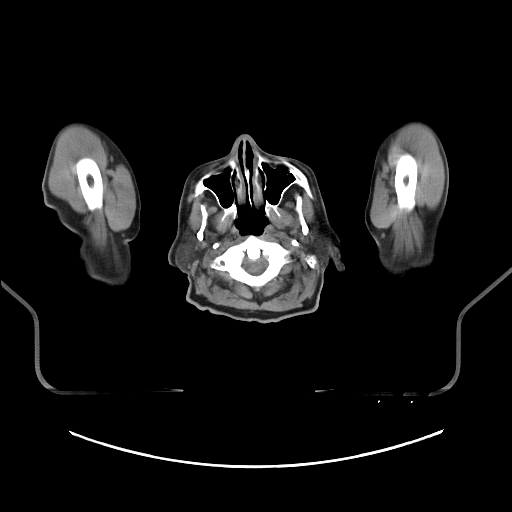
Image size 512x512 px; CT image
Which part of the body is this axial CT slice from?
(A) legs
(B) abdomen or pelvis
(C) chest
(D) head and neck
Answer: (D) head and neck
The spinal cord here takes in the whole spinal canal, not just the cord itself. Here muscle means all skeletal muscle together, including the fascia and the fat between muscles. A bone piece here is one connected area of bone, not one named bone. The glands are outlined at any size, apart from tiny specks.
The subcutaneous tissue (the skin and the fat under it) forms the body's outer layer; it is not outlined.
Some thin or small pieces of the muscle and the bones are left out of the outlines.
{"muscle":[{"outer":[[216,163],[223,164],[221,170],[204,173],[194,184],[192,195],[195,198],[208,191],[222,210],[220,220],[230,216],[239,233],[246,237],[216,255],[208,266],[227,272],[232,279],[256,292],[292,260],[290,249],[260,235],[269,221],[271,211],[278,217],[281,215],[278,207],[292,186],[302,188],[309,198],[314,198],[307,176],[297,166],[307,172],[315,189],[325,227],[320,222],[313,226],[311,245],[317,254],[328,252],[323,258],[313,295],[301,307],[277,312],[250,311],[217,305],[196,294],[194,279],[189,270],[192,262],[201,255],[197,239],[200,242],[204,238],[208,212],[205,205],[200,203],[201,220],[195,235],[189,228],[185,229],[186,198],[192,180],[204,168]],"holes":[[[297,194],[299,194],[302,198],[302,200],[301,201],[301,210],[302,211],[303,217],[309,229],[308,233],[306,235],[303,234],[302,232],[302,230],[301,229],[302,228],[299,220],[299,217],[297,212],[295,210],[295,206],[296,205],[295,196]],[[307,254],[313,254],[314,255],[315,255],[315,256],[316,257],[316,263],[315,264],[315,266],[313,268],[311,268],[308,265],[308,264],[306,262],[306,261],[305,260],[305,256]],[[292,239],[293,239],[294,239],[295,239],[296,240],[297,241],[298,242],[299,243],[299,244],[299,245],[298,246],[297,246],[296,246],[295,246],[294,245],[293,245],[292,244],[291,243],[291,242],[291,241],[292,240]]]},{"outer":[[72,125],[81,125],[95,132],[105,142],[109,151],[127,168],[131,176],[135,192],[135,212],[129,228],[121,238],[120,264],[115,267],[111,267],[92,246],[90,235],[81,225],[78,215],[65,201],[54,196],[48,186],[49,171],[57,139],[64,129]],"hole":[[83,157],[90,157],[96,162],[99,168],[101,177],[102,178],[102,183],[103,184],[102,207],[100,209],[95,209],[92,211],[90,211],[88,209],[85,200],[82,195],[81,189],[79,186],[79,182],[78,181],[76,168],[75,167],[76,162],[80,158]]},{"outer":[[410,124],[421,124],[427,127],[435,137],[444,168],[443,191],[437,207],[431,214],[424,228],[424,245],[422,251],[406,259],[393,259],[388,252],[387,245],[379,238],[373,227],[370,219],[370,208],[375,177],[381,160],[386,154],[389,142],[398,130]],"hole":[[404,153],[409,153],[412,155],[415,158],[417,162],[417,182],[415,188],[415,207],[410,211],[407,211],[404,209],[400,211],[398,209],[397,206],[397,196],[396,195],[395,186],[394,185],[394,177],[395,176],[395,170],[396,169],[395,161],[399,155]]}],"spinal_cord":[[[261,257],[264,258],[267,261],[267,263],[268,264],[267,265],[266,268],[260,274],[259,274],[258,275],[253,275],[252,274],[247,272],[243,268],[243,267],[242,266],[242,264],[245,259],[246,259],[249,261],[254,262],[255,261],[258,260]]],"parotid_glands":[[[186,229],[189,229],[194,234],[196,238],[196,242],[198,246],[198,249],[200,251],[200,255],[198,257],[196,257],[191,262],[191,264],[189,267],[188,271],[184,271],[177,264],[176,262],[176,249],[178,245],[182,240],[182,238],[183,237],[183,232]],[[317,223],[320,223],[323,226],[323,228],[325,231],[325,235],[326,236],[326,246],[329,249],[328,251],[326,252],[324,252],[323,253],[317,253],[315,251],[312,245],[313,244],[313,242],[314,241],[314,237],[315,236],[315,233],[314,232],[314,226]]],"right_arm":[[[74,120],[89,122],[107,133],[127,158],[136,177],[141,201],[140,229],[137,236],[129,243],[133,267],[131,278],[126,285],[120,287],[108,287],[86,275],[77,256],[80,240],[60,223],[55,212],[43,202],[41,182],[50,145],[56,132],[64,124]]],"bones":[{"outer":[[244,138],[253,143],[264,156],[272,160],[284,158],[296,166],[306,176],[313,198],[309,197],[302,187],[294,184],[284,193],[277,207],[279,216],[271,210],[267,217],[261,202],[252,205],[247,201],[243,205],[237,206],[234,220],[230,215],[221,220],[223,210],[208,190],[194,197],[197,181],[210,171],[214,173],[221,171],[224,163],[233,155],[234,146],[238,143],[237,156],[239,164],[242,166],[243,144],[241,141]],"holes":[[[264,163],[265,164],[267,164],[273,169],[276,168],[278,166],[283,166],[286,168],[287,170],[287,173],[293,177],[293,179],[281,190],[279,194],[279,197],[276,203],[271,203],[264,195],[264,192],[267,188],[267,174],[265,172],[263,167],[263,164]],[[227,168],[229,168],[229,177],[228,180],[231,184],[230,187],[234,193],[234,197],[231,203],[228,206],[225,207],[222,205],[220,199],[216,192],[211,187],[206,185],[205,182],[206,180],[212,176],[218,174],[221,174],[224,172]],[[247,142],[248,142],[250,144],[250,146],[251,147],[251,151],[252,152],[252,158],[251,159],[251,163],[252,164],[252,173],[251,174],[251,175],[250,175],[250,170],[249,169],[249,168],[247,166],[247,160],[246,159],[246,146],[247,145]]]},{"outer":[[249,235],[260,236],[264,240],[277,242],[284,248],[291,251],[290,253],[291,260],[284,264],[280,269],[278,274],[269,280],[257,291],[253,287],[232,278],[227,271],[217,270],[209,266],[211,261],[216,256],[218,256],[223,253],[230,246],[240,243]],"hole":[[261,257],[264,258],[267,261],[267,263],[268,264],[267,265],[266,268],[260,274],[259,274],[258,275],[253,275],[252,274],[247,272],[243,268],[243,267],[242,266],[242,264],[245,259],[246,259],[249,261],[254,262],[255,261],[258,260]]},[[404,153],[409,153],[412,155],[415,158],[417,162],[417,182],[415,188],[415,207],[410,211],[407,211],[404,209],[400,211],[398,209],[397,206],[397,196],[396,195],[395,186],[394,185],[394,177],[395,176],[395,170],[396,169],[395,161],[399,155]],[[83,157],[90,157],[96,162],[99,168],[101,177],[102,178],[102,183],[103,184],[102,207],[100,209],[95,209],[92,211],[90,211],[88,209],[85,200],[82,195],[81,189],[79,186],[79,182],[78,181],[76,168],[75,167],[76,162],[80,158]],[[297,194],[299,194],[302,198],[302,200],[301,201],[301,210],[302,211],[303,217],[309,229],[308,233],[306,235],[303,234],[302,232],[302,230],[301,229],[302,228],[299,220],[299,217],[297,212],[295,210],[295,206],[296,205],[295,196]],[[200,204],[203,204],[204,205],[205,207],[205,209],[207,212],[207,220],[206,221],[206,224],[205,225],[205,227],[203,230],[203,238],[202,240],[200,241],[198,240],[196,236],[196,234],[201,226],[201,221],[202,220],[202,214],[201,213]],[[307,254],[313,254],[314,255],[315,255],[315,256],[316,257],[316,263],[315,264],[315,266],[313,268],[311,268],[308,265],[308,264],[306,262],[306,261],[305,260],[305,256]]],"left_arm":[[[408,118],[417,118],[427,122],[438,134],[448,161],[449,187],[444,213],[437,233],[435,259],[433,264],[427,269],[414,271],[405,283],[397,285],[390,281],[380,265],[376,244],[365,225],[364,209],[368,197],[370,178],[377,148],[383,137],[394,125]]],"head_and_neck":[{"outer":[[240,133],[249,134],[268,153],[307,164],[316,176],[328,220],[340,240],[345,269],[339,272],[331,260],[328,262],[319,303],[311,313],[260,323],[199,309],[186,300],[186,274],[168,262],[167,254],[176,234],[178,206],[188,173],[199,164],[227,154]],"holes":[[[247,202],[249,205],[255,206],[256,208],[259,208],[262,205],[263,206],[264,213],[268,221],[264,226],[263,231],[259,235],[254,235],[253,234],[249,234],[248,235],[246,234],[241,234],[238,228],[236,227],[234,223],[238,213],[238,206],[243,206]],[[264,163],[265,164],[267,164],[273,169],[276,168],[278,166],[283,166],[286,168],[287,170],[287,173],[293,177],[293,179],[281,190],[279,194],[279,197],[276,203],[271,203],[264,195],[264,192],[267,188],[267,174],[265,172],[263,167],[263,164]],[[227,168],[229,168],[229,177],[228,180],[231,184],[230,187],[234,193],[234,197],[231,203],[228,206],[225,207],[222,205],[220,199],[216,192],[211,187],[206,185],[205,182],[206,180],[212,176],[218,174],[221,174],[224,172]],[[247,142],[248,142],[250,144],[250,146],[251,147],[251,151],[252,152],[252,158],[251,159],[251,163],[252,164],[252,173],[251,174],[251,175],[250,175],[250,170],[249,169],[249,168],[247,166],[247,160],[246,159],[246,146],[247,145]],[[241,142],[241,143],[242,144],[242,151],[241,152],[241,160],[242,161],[242,164],[241,165],[241,166],[241,165],[240,164],[240,161],[239,160],[239,157],[238,156],[238,149],[239,148],[239,144]]]}]}